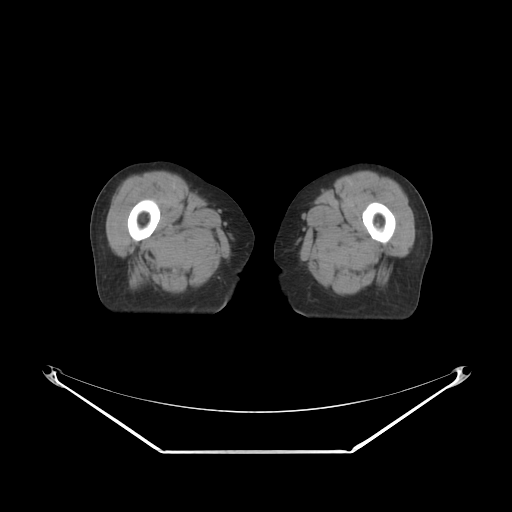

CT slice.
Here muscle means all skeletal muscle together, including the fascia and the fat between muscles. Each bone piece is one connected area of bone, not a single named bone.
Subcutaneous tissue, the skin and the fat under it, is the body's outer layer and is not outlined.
{"bones":[[[142,199],[152,199],[156,202],[160,210],[160,218],[159,219],[159,221],[155,229],[148,237],[144,239],[136,241],[131,237],[131,236],[128,232],[128,229],[127,228],[127,218],[130,212],[130,210],[132,208],[132,207],[137,202],[138,202]],[[374,201],[376,201],[377,202],[380,202],[384,204],[392,212],[395,218],[395,229],[394,230],[394,232],[392,236],[390,238],[390,239],[385,243],[382,243],[379,241],[377,241],[373,239],[368,233],[362,221],[362,212],[363,210],[369,203],[373,202]]],"left_leg":[[[358,162],[382,164],[405,176],[421,195],[430,216],[433,232],[432,250],[424,272],[417,308],[413,314],[404,321],[310,319],[294,311],[280,293],[277,286],[276,275],[279,269],[273,259],[274,239],[281,219],[290,202],[302,187],[320,175],[333,169]]],"muscle":[{"outer":[[155,169],[164,169],[179,174],[189,185],[220,210],[220,216],[230,246],[228,260],[217,269],[206,283],[197,289],[189,290],[181,294],[171,294],[153,289],[131,292],[128,287],[126,264],[111,251],[105,234],[105,220],[111,198],[120,183],[132,174]],"hole":[[142,199],[152,199],[156,202],[160,210],[160,218],[159,219],[159,221],[155,229],[148,237],[144,239],[136,241],[131,237],[131,236],[128,232],[128,229],[127,228],[127,218],[130,212],[130,210],[132,208],[132,207],[137,202],[138,202]]},{"outer":[[364,169],[388,176],[394,179],[401,186],[407,195],[408,203],[414,215],[416,230],[415,242],[410,253],[406,257],[400,259],[395,266],[385,290],[358,297],[332,296],[314,285],[297,254],[299,250],[299,229],[302,213],[313,198],[326,185],[342,175]],"hole":[[374,201],[376,201],[377,202],[380,202],[384,204],[392,212],[395,218],[395,229],[394,230],[394,232],[392,236],[390,238],[390,239],[385,243],[382,243],[379,241],[377,241],[373,239],[368,233],[362,221],[362,212],[363,210],[369,203],[373,202]]}],"right_leg":[[[155,160],[166,160],[180,164],[208,182],[227,192],[240,206],[254,231],[254,247],[241,275],[242,282],[232,299],[221,310],[212,315],[118,315],[108,311],[98,297],[95,285],[93,257],[89,239],[90,216],[95,199],[107,180],[120,169],[136,162]]]}